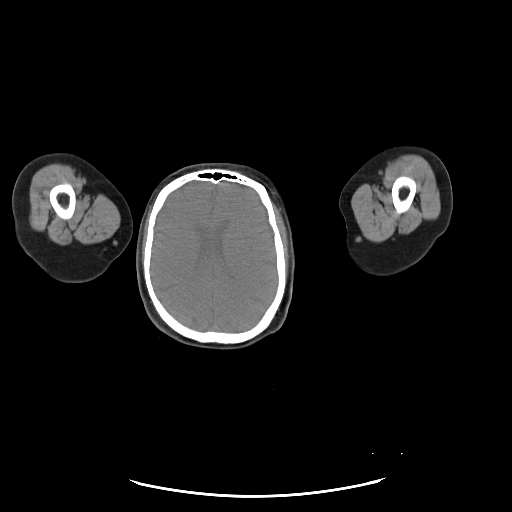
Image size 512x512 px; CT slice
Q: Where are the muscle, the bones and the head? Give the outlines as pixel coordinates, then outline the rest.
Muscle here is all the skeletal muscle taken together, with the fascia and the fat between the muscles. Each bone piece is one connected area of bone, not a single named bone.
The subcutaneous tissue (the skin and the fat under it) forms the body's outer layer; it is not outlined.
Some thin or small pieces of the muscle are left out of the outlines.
A: muscle 1: 58 160; 75 166; 106 196; 112 200; 117 206; 121 217; 120 226; 114 235; 107 240; 100 243; 90 245; 61 246; 56 245; 40 238; 29 227; 28 224; 28 213; 29 212; 28 193; 31 177; 35 171; 42 166; 52 162; 56 162; inner edge: 64 182; 68 182; 72 186; 74 190; 74 192; 75 193; 75 208; 74 209; 73 215; 71 217; 71 218; 69 219; 63 219; 59 217; 56 214; 49 199; 49 192; 50 191; 50 189; 53 186; 57 184; 59 184; 60 183; 63 183
muscle 2: 408 153; 414 153; 422 156; 431 165; 434 171; 437 186; 440 192; 441 202; 440 214; 435 220; 428 222; 407 235; 395 240; 382 243; 368 241; 361 235; 358 230; 350 204; 351 196; 357 187; 362 183; 371 179; 387 161; 399 155; inner edge: 399 176; 408 176; 412 178; 416 183; 416 191; 415 192; 415 195; 413 198; 413 200; 409 208; 406 211; 400 214; 396 213; 395 211; 395 208; 392 201; 392 196; 391 195; 391 189; 392 188; 393 183; 396 178; 397 178
muscle 3: 268 191; 272 194; 275 201; 277 203; 280 209; 280 212; 286 228; 287 238; 288 239; 288 250; 289 251; 289 267; 288 268; 287 281; 287 271; 286 270; 286 259; 285 258; 284 245; 276 221; 276 215; 274 211; 272 200
muscle 4: 153 202; 152 207; 148 216; 148 223; 146 228; 146 237; 145 238; 145 242; 144 243; 144 247; 143 248; 142 268; 142 261; 141 260; 141 245; 142 244; 143 229; 144 228; 145 220; 147 217; 147 214; 149 210; 149 207
bones 1: 206 168; 235 170; 265 186; 271 200; 275 221; 284 250; 286 286; 282 301; 271 322; 262 332; 251 339; 239 343; 224 344; 199 342; 176 332; 156 311; 148 294; 144 280; 143 260; 147 228; 149 216; 157 194; 173 179; 185 173 with a hole at 192 181; 203 181; 213 184; 226 181; 248 187; 257 194; 265 209; 267 221; 273 235; 277 283; 273 298; 260 318; 254 325; 245 330; 199 330; 190 327; 182 323; 168 311; 154 289; 151 277; 151 259; 158 214; 170 194
bones 2: 64 182; 68 182; 72 186; 74 190; 74 192; 75 193; 75 208; 74 209; 73 215; 71 217; 71 218; 69 219; 63 219; 59 217; 56 214; 49 199; 49 192; 50 191; 50 189; 53 186; 57 184; 59 184; 60 183; 63 183
bones 3: 399 176; 408 176; 412 178; 416 183; 416 191; 415 192; 415 195; 413 198; 413 200; 409 208; 406 211; 400 214; 396 213; 395 211; 395 208; 392 201; 392 196; 391 195; 391 189; 392 188; 393 183; 396 178; 397 178
head: 214 161; 242 163; 259 170; 283 197; 292 230; 295 269; 291 302; 283 325; 274 335; 275 343; 268 337; 243 349; 210 350; 187 346; 164 335; 159 339; 161 332; 144 309; 136 277; 135 249; 146 202; 157 183; 169 173; 185 165
right arm: 56 151; 65 151; 77 154; 94 165; 114 184; 124 196; 133 218; 132 236; 125 249; 112 262; 104 273; 87 282; 64 283; 50 277; 23 251; 18 244; 14 233; 14 222; 11 209; 11 194; 18 174; 22 168; 33 158; 44 153
left arm: 396 144; 423 146; 434 152; 442 160; 451 181; 453 209; 447 230; 436 240; 432 248; 421 260; 397 274; 390 276; 375 276; 362 271; 356 266; 347 253; 344 242; 346 233; 345 222; 338 205; 338 199; 345 183; 365 161; 378 151
brain: 192 181; 203 181; 213 184; 226 181; 248 187; 257 194; 265 209; 267 221; 273 235; 277 283; 273 298; 260 318; 254 325; 245 330; 199 330; 190 327; 182 323; 168 311; 154 289; 151 277; 151 259; 158 214; 170 194